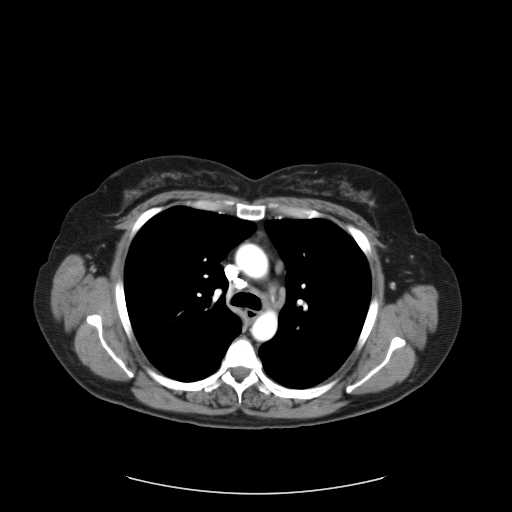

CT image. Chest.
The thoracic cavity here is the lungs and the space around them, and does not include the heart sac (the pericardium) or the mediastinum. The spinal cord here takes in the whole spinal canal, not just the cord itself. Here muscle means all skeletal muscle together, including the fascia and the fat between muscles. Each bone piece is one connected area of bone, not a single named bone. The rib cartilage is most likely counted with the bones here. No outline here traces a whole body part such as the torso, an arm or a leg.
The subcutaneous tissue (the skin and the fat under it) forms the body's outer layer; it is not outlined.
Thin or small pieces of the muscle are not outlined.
The muscle is outlined by 178 189; 220 192; 243 198; 249 202; 267 196; 317 198; 341 205; 359 214; 377 231; 377 238; 383 245; 377 247; 377 252; 384 276; 385 301; 387 303; 394 302; 417 284; 431 284; 438 293; 436 329; 434 333; 429 335; 408 376; 401 382; 383 390; 352 395; 346 405; 329 414; 311 418; 268 418; 249 415; 239 409; 227 414; 209 415; 154 408; 138 400; 130 390; 129 383; 104 378; 84 365; 73 349; 72 336; 65 332; 62 324; 57 322; 52 314; 50 292; 53 276; 58 266; 67 255; 77 253; 83 257; 88 272; 95 277; 107 276; 117 242; 124 232; 123 229; 116 227; 116 220; 152 196, around holes outlined by 200 199; 254 205; 277 202; 313 209; 342 229; 351 224; 367 237; 371 247; 367 261; 371 297; 378 301; 376 319; 360 350; 353 349; 323 382; 339 379; 321 395; 310 399; 266 395; 253 384; 242 392; 239 404; 236 391; 224 382; 210 392; 184 391; 168 388; 146 372; 145 366; 160 372; 137 340; 129 340; 115 301; 115 284; 120 277; 124 279; 131 229; 140 214; 151 207; 166 209 and by 90 314; 98 314; 100 315; 101 317; 101 324; 102 325; 102 336; 104 340; 113 352; 122 360; 126 367; 134 374; 132 378; 130 378; 127 375; 123 369; 110 356; 107 351; 103 347; 99 339; 97 329; 86 321; 86 317 and by 395 336; 399 336; 403 338; 405 340; 405 344; 401 347; 396 348; 392 352; 387 363; 379 370; 374 373; 360 385; 354 388; 350 393; 347 393; 345 391; 345 388; 348 385; 351 385; 360 380; 373 368; 377 366; 385 358; 391 339. The thoracic cavity appears in 2 outlined pieces: piece 1: 176 205; 231 214; 243 220; 253 221; 255 225; 254 231; 232 247; 220 262; 228 282; 225 301; 241 320; 241 330; 226 349; 219 367; 211 374; 193 381; 182 381; 166 376; 151 363; 136 339; 124 289; 124 268; 132 240; 152 217; piece 2: 284 217; 295 219; 325 218; 345 230; 365 256; 371 276; 371 298; 353 349; 340 367; 327 379; 319 384; 306 388; 287 387; 273 380; 265 373; 258 355; 261 345; 269 341; 276 334; 279 314; 286 301; 287 267; 264 225; 268 220. The spinal cord is outlined by 240 366; 241 367; 244 367; 245 368; 246 368; 247 369; 248 369; 248 373; 247 374; 247 375; 245 377; 244 377; 241 380; 237 380; 232 375; 232 369; 233 369; 234 368; 235 368; 236 367; 239 367. The bones appear in 8 outlined pieces: piece 1: 237 337; 249 340; 264 373; 284 387; 306 389; 339 379; 330 389; 310 399; 279 397; 273 393; 266 395; 253 384; 242 392; 240 404; 236 391; 224 382; 210 392; 168 388; 154 380; 145 366; 177 381; 197 381; 220 367; 227 349 with a hole at 240 366; 241 367; 244 367; 245 368; 246 368; 247 369; 248 369; 248 373; 247 374; 247 375; 245 377; 244 377; 241 380; 237 380; 232 375; 232 369; 233 369; 234 368; 235 368; 236 367; 239 367; piece 2: 200 199; 229 199; 235 202; 254 205; 265 205; 270 202; 277 202; 313 209; 325 216; 295 218; 275 215; 274 212; 268 211; 261 219; 249 220; 236 216; 233 211; 232 213; 220 213; 213 210; 198 209; 184 205; 182 204; 186 201; piece 3: 120 277; 122 278; 123 280; 123 289; 125 296; 125 305; 127 310; 127 314; 131 324; 131 327; 135 337; 135 340; 132 341; 129 340; 122 325; 121 320; 118 314; 118 310; 115 301; 115 290; 114 289; 115 288; 115 284; 117 280; piece 4: 373 297; 376 297; 378 301; 378 309; 377 310; 377 315; 376 316; 376 319; 362 347; 358 352; 356 352; 354 351; 354 348; 356 345; 356 343; 358 340; 359 335; 363 327; 371 299; piece 5: 90 314; 98 314; 100 315; 101 317; 101 324; 102 325; 102 336; 104 340; 113 352; 122 360; 126 367; 134 374; 132 378; 130 378; 127 375; 123 369; 110 356; 107 351; 103 347; 99 339; 97 329; 86 321; 86 317; piece 6: 395 336; 399 336; 403 338; 405 340; 405 344; 401 347; 396 348; 392 352; 387 363; 379 370; 374 373; 360 385; 354 388; 350 393; 347 393; 345 391; 345 388; 348 385; 351 385; 360 380; 373 368; 377 366; 385 358; 391 339; piece 7: 347 224; 351 224; 355 226; 357 228; 360 229; 367 237; 370 243; 370 246; 371 247; 371 254; 370 255; 370 259; 369 260; 367 259; 366 256; 361 250; 361 249; 359 247; 359 246; 357 244; 353 237; 345 229; 345 225; piece 8: 156 206; 162 206; 164 208; 164 209; 152 216; 137 231; 137 232; 129 243; 129 236; 130 235; 131 229; 132 228; 132 226; 134 222; 137 219; 137 218; 141 213; 142 213; 144 211; 151 207; 155 207. The mediastinum is outlined by 266 216; 283 217; 268 219; 263 225; 286 267; 285 301; 278 314; 275 334; 262 343; 257 352; 249 339; 245 336; 238 336; 242 330; 242 320; 229 307; 226 301; 229 282; 221 262; 232 248; 255 231; 256 225; 254 221; 261 220.